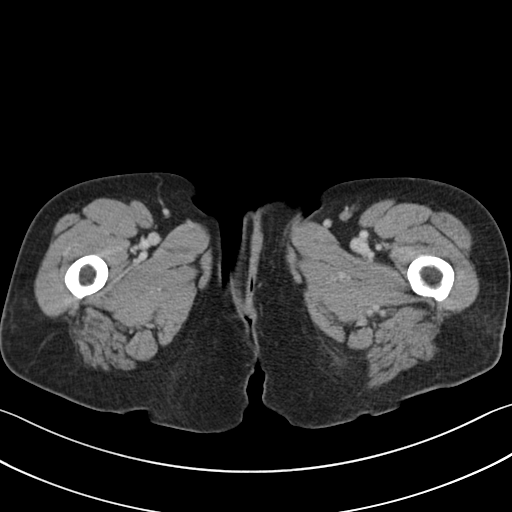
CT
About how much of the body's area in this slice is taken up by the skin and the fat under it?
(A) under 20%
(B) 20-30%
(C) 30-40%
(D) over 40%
Answer: (D) over 40%
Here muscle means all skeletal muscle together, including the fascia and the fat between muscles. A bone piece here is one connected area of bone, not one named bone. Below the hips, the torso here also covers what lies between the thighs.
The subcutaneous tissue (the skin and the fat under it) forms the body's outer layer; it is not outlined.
{"bones":[[[421,254],[428,254],[429,255],[434,255],[440,257],[447,261],[453,268],[454,271],[454,280],[453,281],[452,287],[448,295],[441,301],[437,301],[434,298],[430,296],[422,296],[415,293],[412,290],[410,284],[407,279],[407,268],[410,262],[417,256]],[[88,254],[96,254],[101,257],[105,261],[108,267],[108,276],[104,285],[100,289],[89,295],[87,295],[79,299],[73,295],[66,286],[65,282],[64,281],[64,276],[65,275],[66,270],[71,264],[71,263],[72,263],[76,259],[84,255],[87,255]]],"muscle":[{"outer":[[395,197],[417,199],[441,206],[469,229],[478,269],[479,292],[470,306],[441,327],[440,350],[434,359],[400,372],[377,388],[364,389],[361,375],[366,365],[341,362],[311,324],[288,272],[288,239],[295,223],[315,221],[329,230],[374,202]],"hole":[[421,254],[428,254],[429,255],[434,255],[440,257],[447,261],[453,268],[454,271],[454,280],[453,281],[452,287],[448,295],[441,301],[437,301],[434,298],[430,296],[422,296],[415,293],[412,290],[410,284],[407,279],[407,268],[410,262],[417,256]]},{"outer":[[103,195],[137,198],[166,225],[175,225],[190,219],[204,225],[211,235],[211,274],[207,285],[181,330],[175,340],[154,359],[130,371],[103,372],[86,367],[76,354],[66,325],[59,319],[46,316],[41,311],[34,295],[34,280],[57,220],[76,204]],"hole":[[88,254],[96,254],[101,257],[105,261],[108,267],[108,276],[104,285],[100,289],[89,295],[87,295],[79,299],[73,295],[66,286],[65,282],[64,281],[64,276],[65,275],[66,270],[71,264],[71,263],[72,263],[76,259],[84,255],[87,255]]}],"right_leg":[[[146,171],[171,172],[190,180],[198,192],[193,201],[220,228],[223,281],[244,313],[256,361],[242,421],[224,432],[198,433],[154,424],[143,410],[120,414],[82,406],[18,377],[0,354],[0,318],[9,282],[23,237],[38,210],[76,183]]],"left_leg":[[[393,176],[455,185],[477,198],[495,219],[511,270],[501,355],[486,372],[458,385],[409,398],[391,411],[364,414],[322,428],[294,426],[268,409],[261,399],[264,373],[249,338],[259,289],[286,232],[295,221],[318,207],[317,198],[323,190],[347,180]]],"torso":[[[275,199],[288,199],[294,203],[300,203],[302,205],[304,214],[290,225],[281,239],[269,270],[258,289],[255,306],[249,322],[249,331],[245,313],[235,294],[228,285],[227,279],[230,266],[240,240],[242,216],[244,212],[248,209],[256,208],[266,201]]]}